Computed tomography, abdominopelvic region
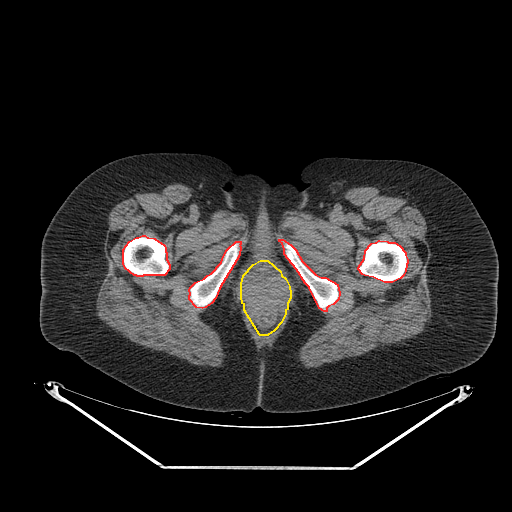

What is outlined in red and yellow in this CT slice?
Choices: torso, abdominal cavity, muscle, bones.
red: bones; yellow: abdominal cavity.
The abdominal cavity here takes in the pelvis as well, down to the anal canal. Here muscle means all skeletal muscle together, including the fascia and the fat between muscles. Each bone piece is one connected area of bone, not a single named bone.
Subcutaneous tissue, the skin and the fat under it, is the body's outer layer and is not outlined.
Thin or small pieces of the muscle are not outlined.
Outlined structures:
bones 1: (379, 240) (387, 241) (388, 242) (394, 242) (399, 245) (405, 252) (405, 255) (407, 259) (407, 263) (406, 264) (405, 271) (403, 275) (400, 278) (392, 282) (384, 282) (373, 277) (364, 275) (362, 274) (358, 269) (358, 267) (364, 258) (365, 250) (371, 243) (376, 242)
bones 2: (142, 235) (144, 235) (147, 237) (154, 238) (164, 245) (165, 247) (165, 251) (166, 252) (166, 259) (169, 264) (169, 269) (164, 275) (143, 275) (142, 276) (137, 276) (136, 275) (134, 275) (125, 268) (123, 263) (123, 249) (129, 241) (136, 237) (138, 237)
bones 3: (236, 241) (240, 241) (240, 244) (239, 245) (240, 246) (239, 255) (219, 288) (215, 298) (211, 303) (205, 307) (202, 308) (196, 307) (189, 299) (189, 295) (190, 294) (189, 289) (190, 287) (195, 282) (204, 278) (207, 275) (211, 273) (221, 262) (223, 256) (227, 249)
bones 4: (279, 239) (282, 239) (290, 244) (295, 249) (302, 261) (315, 274) (321, 277) (325, 277) (337, 284) (339, 293) (338, 299) (333, 304) (328, 306) (326, 308) (326, 311) (324, 311) (319, 308) (309, 287) (305, 283) (296, 269) (284, 254) (284, 249) (282, 243) (279, 241)
abdominal cavity: (260, 260) (267, 260) (280, 271) (281, 275) (285, 278) (289, 286) (290, 293) (290, 298) (287, 303) (287, 309) (285, 310) (285, 313) (281, 322) (274, 330) (267, 335) (260, 335) (259, 334) (244, 310) (244, 304) (242, 303) (241, 296) (241, 284) (243, 275) (253, 264)
muscle: (168, 183) (182, 183) (208, 207) (247, 220) (249, 244) (241, 264) (262, 253) (275, 256) (290, 272) (281, 243) (324, 312) (339, 299) (339, 286) (315, 273) (278, 237) (283, 215) (337, 202) (352, 187) (398, 191) (426, 220) (430, 322) (415, 337) (306, 368) (297, 353) (320, 324) (313, 302) (297, 288) (284, 328) (272, 347) (258, 350) (230, 287) (207, 321) (220, 336) (223, 366) (195, 365) (131, 341) (94, 314) (108, 267) (108, 214) (135, 192) with holes at (260, 260) (267, 260) (280, 271) (281, 275) (285, 278) (289, 286) (290, 293) (290, 298) (287, 303) (287, 309) (285, 310) (285, 313) (281, 322) (274, 330) (267, 335) (260, 335) (259, 334) (244, 310) (244, 304) (242, 303) (241, 296) (241, 284) (243, 275) (253, 264) and at (379, 240) (387, 241) (388, 242) (394, 242) (399, 245) (405, 252) (405, 255) (407, 259) (407, 263) (406, 264) (405, 271) (403, 275) (400, 278) (392, 282) (384, 282) (373, 277) (364, 275) (362, 274) (358, 269) (358, 267) (364, 258) (365, 250) (371, 243) (376, 242) and at (142, 235) (144, 235) (147, 237) (154, 238) (164, 245) (165, 247) (165, 251) (166, 252) (166, 259) (169, 264) (169, 269) (164, 275) (143, 275) (142, 276) (137, 276) (136, 275) (134, 275) (125, 268) (123, 263) (123, 249) (129, 241) (136, 237) (138, 237) and at (236, 241) (240, 241) (240, 244) (239, 245) (240, 246) (239, 255) (219, 288) (215, 298) (211, 303) (205, 307) (202, 308) (196, 307) (189, 299) (189, 295) (190, 294) (189, 289) (190, 287) (195, 282) (204, 278) (207, 275) (211, 273) (221, 262) (223, 256) (227, 249)
torso: (149, 152) (212, 155) (238, 173) (252, 172) (272, 184) (292, 182) (300, 190) (307, 186) (301, 169) (322, 157) (403, 159) (437, 169) (469, 196) (496, 248) (492, 342) (477, 361) (454, 372) (363, 402) (300, 413) (172, 405) (58, 349) (39, 326) (44, 232) (88, 174)